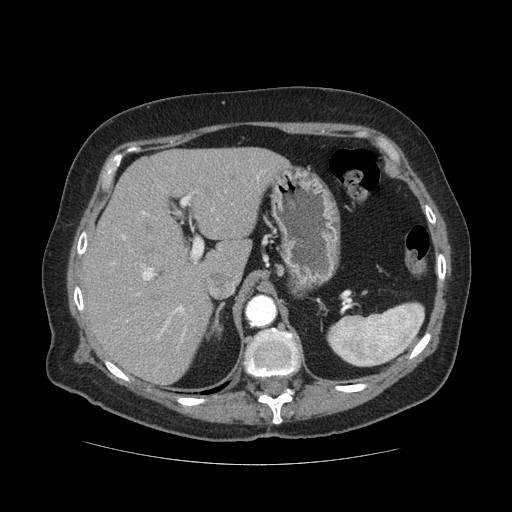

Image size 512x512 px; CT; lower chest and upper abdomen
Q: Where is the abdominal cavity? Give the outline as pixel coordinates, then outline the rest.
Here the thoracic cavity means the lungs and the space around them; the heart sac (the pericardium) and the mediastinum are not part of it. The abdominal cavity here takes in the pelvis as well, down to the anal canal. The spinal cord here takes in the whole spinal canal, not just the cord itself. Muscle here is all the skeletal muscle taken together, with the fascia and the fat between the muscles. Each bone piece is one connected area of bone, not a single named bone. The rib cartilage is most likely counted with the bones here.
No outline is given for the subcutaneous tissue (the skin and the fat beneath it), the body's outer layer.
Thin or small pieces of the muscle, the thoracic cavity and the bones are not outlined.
A: {"abdominal_cavity":[[[242,125],[365,139],[388,156],[394,175],[417,198],[431,233],[437,287],[425,332],[384,371],[355,383],[316,379],[304,369],[294,335],[263,274],[243,301],[245,349],[230,381],[193,394],[167,391],[125,373],[96,343],[84,314],[80,266],[123,160]]],"mediastinum":[[[260,275],[263,275],[267,280],[270,288],[279,304],[282,316],[287,324],[289,330],[287,332],[285,332],[275,326],[267,327],[259,330],[251,340],[247,344],[245,344],[243,342],[243,338],[242,337],[242,308],[246,296],[252,289],[256,282],[256,279]]],"thoracic_cavity":[[[226,382],[229,382],[229,383],[225,387],[224,387],[221,390],[220,390],[215,393],[211,393],[210,394],[198,394],[199,394],[201,392],[203,392],[206,390],[209,390],[210,389],[212,389],[213,388],[215,388],[216,387],[217,387],[218,386],[219,386]]],"bones":[[[271,327],[275,327],[285,333],[290,332],[293,335],[293,338],[295,340],[299,350],[301,365],[298,371],[289,377],[289,380],[286,376],[271,375],[263,377],[260,381],[259,379],[251,376],[244,370],[242,361],[244,358],[246,345],[252,340],[259,331]],[[260,384],[261,389],[265,393],[273,397],[282,393],[288,386],[293,389],[294,393],[292,396],[292,400],[285,402],[280,408],[280,416],[282,418],[281,423],[274,424],[272,422],[273,412],[271,408],[266,403],[258,401],[259,394],[258,392],[260,390]],[[131,146],[138,146],[141,148],[141,150],[137,152],[134,151],[133,152],[127,153],[123,157],[119,166],[114,173],[113,179],[110,187],[106,190],[102,189],[101,186],[101,174],[104,169],[106,161],[108,158],[113,156],[117,153],[122,152],[125,149]],[[374,136],[380,136],[381,137],[383,137],[392,145],[392,146],[396,150],[396,151],[399,155],[399,161],[398,162],[396,162],[392,160],[385,152],[384,152],[381,149],[380,149],[379,147],[375,145],[374,143],[374,139],[373,138]],[[426,332],[429,332],[431,335],[431,337],[428,343],[425,346],[425,347],[422,350],[421,352],[420,352],[415,357],[411,359],[409,359],[407,357],[408,355],[413,349],[415,345],[422,337],[422,336]],[[439,253],[442,253],[443,254],[443,255],[445,258],[445,263],[446,264],[446,270],[445,271],[445,278],[444,279],[444,280],[441,282],[438,282],[438,276],[437,275],[437,273],[436,272],[436,255]],[[360,382],[364,382],[365,383],[366,383],[367,384],[367,386],[365,388],[364,388],[359,391],[353,391],[352,392],[344,392],[343,391],[339,391],[338,390],[336,390],[334,388],[334,386],[335,385],[346,385],[347,384],[355,384],[356,383],[359,383]],[[178,396],[192,396],[193,397],[202,397],[203,398],[204,398],[206,400],[203,403],[199,403],[198,404],[196,404],[195,405],[183,405],[182,404],[181,404],[180,403],[179,403],[178,402],[177,402],[176,401],[176,398]],[[104,359],[107,359],[108,360],[109,360],[118,368],[119,368],[125,374],[126,374],[129,377],[129,381],[126,381],[125,380],[124,380],[119,377],[117,377],[115,375],[114,375],[106,367],[106,366],[104,364],[104,362],[103,361],[104,360]],[[83,230],[86,230],[87,231],[87,232],[88,233],[88,239],[87,240],[87,245],[86,246],[86,248],[85,249],[85,251],[83,253],[83,254],[82,255],[79,255],[77,253],[77,243],[78,242],[78,239],[79,238],[79,236],[80,235],[81,232]],[[75,285],[78,285],[81,290],[81,294],[82,295],[82,299],[83,300],[83,311],[82,312],[80,312],[78,310],[78,309],[77,308],[77,307],[74,302],[74,298],[73,297],[73,291],[74,290],[74,287],[75,286]],[[425,204],[427,204],[431,208],[431,209],[433,211],[433,212],[435,215],[435,218],[436,219],[436,222],[435,223],[435,224],[431,224],[428,222],[428,221],[426,218],[426,216],[425,215],[425,213],[424,212],[424,209],[423,208],[423,206]]],"spinal_cord":[[[271,376],[280,376],[281,377],[286,377],[287,378],[287,386],[283,390],[282,392],[281,392],[279,394],[275,396],[273,396],[265,392],[262,389],[261,387],[261,384],[260,383],[261,380],[263,378],[265,377],[270,377]]],"muscle":[{"outer":[[236,121],[338,122],[378,130],[401,148],[446,224],[451,278],[437,348],[412,371],[357,406],[282,423],[281,408],[293,400],[295,393],[288,380],[302,366],[316,380],[335,384],[336,391],[359,392],[368,386],[365,380],[384,372],[404,356],[409,360],[415,358],[432,337],[426,329],[438,283],[445,280],[447,270],[444,254],[435,252],[429,226],[437,222],[434,211],[427,203],[422,207],[408,183],[395,175],[392,161],[398,163],[400,155],[393,145],[380,135],[374,135],[372,143],[366,139],[371,134],[364,129],[354,131],[352,136],[341,136],[242,124],[171,146],[145,151],[140,151],[138,145],[128,146],[105,161],[100,186],[109,192],[89,235],[83,229],[77,239],[76,253],[81,262],[79,285],[75,284],[72,291],[73,302],[83,312],[89,332],[107,358],[103,364],[114,376],[126,382],[131,377],[179,395],[210,395],[225,388],[242,365],[248,375],[259,380],[257,401],[270,408],[273,425],[228,424],[193,418],[135,394],[90,363],[72,360],[79,335],[68,307],[69,252],[108,154],[124,142]],"hole":[[178,396],[192,396],[193,397],[202,397],[203,398],[204,398],[206,400],[203,403],[199,403],[198,404],[196,404],[195,405],[183,405],[182,404],[181,404],[180,403],[179,403],[178,402],[177,402],[176,401],[176,398]]}],"torso":[[[292,85],[346,89],[379,98],[411,118],[430,140],[471,244],[469,294],[457,354],[444,384],[426,401],[363,428],[325,437],[248,442],[208,442],[165,433],[53,384],[45,370],[51,333],[41,285],[42,257],[68,170],[85,139],[109,117],[151,100]]]}